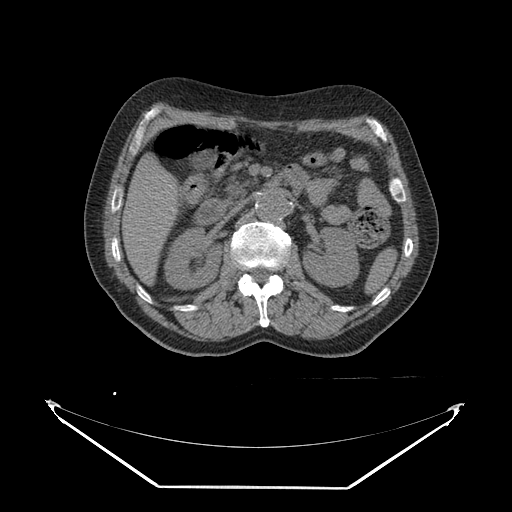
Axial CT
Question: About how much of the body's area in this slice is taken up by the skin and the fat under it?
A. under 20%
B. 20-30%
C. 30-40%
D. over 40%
Answer: B. 20-30%
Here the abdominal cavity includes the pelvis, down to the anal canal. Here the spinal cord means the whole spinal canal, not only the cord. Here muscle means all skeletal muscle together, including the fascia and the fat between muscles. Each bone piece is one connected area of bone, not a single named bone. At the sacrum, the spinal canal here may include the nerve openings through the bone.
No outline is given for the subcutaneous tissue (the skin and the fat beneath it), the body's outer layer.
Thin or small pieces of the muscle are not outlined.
Outlines:
bones 1: (255, 220) (270, 222) (280, 227) (292, 241) (286, 263) (277, 271) (283, 280) (283, 290) (267, 299) (266, 311) (269, 319) (267, 327) (258, 324) (259, 309) (255, 298) (252, 295) (244, 296) (239, 291) (237, 282) (243, 271) (230, 254) (230, 240) (234, 231) (242, 224); inner edge: (259, 266) (261, 266) (262, 267) (267, 268) (271, 270) (272, 272) (272, 273) (268, 277) (268, 279) (267, 281) (263, 284) (259, 284) (257, 282) (254, 281) (253, 280) (253, 278) (252, 276) (249, 272) (251, 269) (253, 268) (256, 268)
bones 2: (156, 105) (160, 105) (161, 106) (161, 110) (153, 118) (152, 118) (147, 124) (143, 137) (141, 140) (141, 143) (140, 144) (139, 149) (136, 155) (132, 156) (128, 151) (128, 147) (130, 144) (130, 142) (132, 140) (133, 135) (140, 121) (144, 116) (144, 114) (147, 111)
bones 3: (395, 176) (398, 177) (400, 179) (400, 180) (403, 185) (403, 187) (404, 188) (404, 190) (405, 191) (405, 194) (406, 195) (406, 200) (404, 202) (401, 202) (400, 203) (398, 203) (392, 197) (392, 196) (390, 193) (390, 191) (389, 190) (389, 180) (392, 177) (394, 177)
bones 4: (367, 116) (369, 116) (370, 117) (372, 117) (373, 118) (374, 118) (376, 120) (377, 120) (381, 124) (383, 129) (386, 133) (386, 136) (387, 137) (387, 141) (386, 142) (383, 142) (374, 133) (374, 132) (372, 130) (372, 129) (370, 127) (370, 126) (365, 121) (365, 118)
bones 5: (116, 185) (121, 185) (124, 188) (124, 189) (123, 190) (123, 197) (122, 198) (122, 203) (121, 204) (121, 206) (120, 207) (120, 209) (119, 209) (114, 213) (112, 213) (111, 212) (111, 199) (112, 198) (112, 195) (113, 194) (113, 191) (114, 190) (114, 188) (116, 186)
bones 6: (113, 236) (116, 236) (118, 238) (118, 239) (119, 240) (119, 248) (120, 249) (120, 261) (119, 261) (118, 262) (117, 261) (116, 261) (114, 259) (114, 258) (113, 257) (113, 256) (112, 255) (112, 254) (111, 253) (111, 241) (112, 240) (112, 238) (113, 237)
bones 7: (386, 285) (387, 286) (388, 286) (389, 287) (389, 288) (390, 289) (390, 293) (389, 294) (389, 295) (385, 299) (384, 299) (382, 301) (381, 301) (379, 303) (378, 303) (376, 305) (375, 305) (374, 306) (371, 306) (371, 302) (372, 301) (372, 300) (376, 296) (376, 295)
bones 8: (137, 282) (149, 294) (149, 295) (151, 297) (151, 298) (152, 299) (152, 300) (153, 301) (153, 303) (152, 304) (151, 304) (150, 303) (149, 303) (148, 302) (147, 302) (146, 301) (145, 301) (143, 299) (142, 299) (137, 294) (137, 293) (136, 292) (136, 283)
bones 9: (407, 237) (410, 237) (411, 238) (411, 239) (412, 240) (412, 243) (413, 244) (413, 249) (412, 250) (412, 252) (411, 253) (411, 254) (408, 257) (406, 257) (404, 255) (404, 252) (403, 251) (403, 243) (404, 242) (404, 239) (405, 238) (406, 238)
bones 10: (182, 304) (193, 304) (194, 305) (196, 305) (198, 307) (198, 308) (196, 310) (193, 310) (192, 311) (181, 311) (180, 310) (175, 310) (174, 309) (173, 309) (172, 308) (172, 306) (173, 306) (174, 305) (181, 305)
bones 11: (334, 304) (339, 304) (340, 305) (353, 305) (354, 306) (354, 308) (352, 310) (351, 310) (350, 311) (347, 311) (346, 312) (341, 312) (340, 311) (336, 311) (335, 310) (332, 310) (330, 308) (330, 306) (331, 305) (333, 305)
spinal cord: (259, 266) (261, 266) (262, 267) (267, 268) (271, 270) (272, 272) (272, 273) (268, 277) (268, 279) (267, 281) (263, 284) (259, 284) (257, 282) (254, 281) (253, 280) (253, 278) (252, 276) (249, 272) (251, 269) (253, 268) (256, 268)
muscle: (157, 101) (185, 110) (207, 110) (268, 121) (339, 119) (362, 114) (381, 120) (399, 152) (414, 203) (419, 238) (417, 257) (396, 296) (374, 318) (330, 339) (299, 339) (268, 327) (268, 299) (284, 290) (284, 280) (278, 271) (287, 263) (293, 242) (304, 277) (332, 300) (334, 303) (329, 306) (332, 311) (346, 313) (368, 302) (374, 307) (390, 295) (387, 284) (398, 265) (402, 246) (406, 258) (414, 249) (412, 238) (404, 238) (403, 233) (399, 204) (407, 200) (407, 195) (401, 179) (396, 175) (389, 177) (385, 158) (375, 146) (337, 131) (174, 122) (159, 128) (139, 151) (148, 124) (162, 110) (156, 104) (143, 114) (127, 147) (128, 153) (135, 157) (124, 187) (116, 184) (112, 191) (110, 212) (120, 210) (120, 213) (119, 237) (112, 236) (110, 253) (118, 263) (121, 251) (137, 281) (135, 292) (142, 300) (151, 305) (152, 298) (163, 303) (180, 303) (191, 300) (219, 279) (225, 242) (229, 240) (230, 257) (242, 271) (237, 289) (244, 297) (254, 298) (260, 327) (226, 342) (202, 342) (164, 327) (146, 315) (132, 303) (107, 265) (102, 231) (105, 200) (121, 149) (142, 110), around holes outlined by (367, 116) (369, 116) (370, 117) (372, 117) (373, 118) (374, 118) (376, 120) (377, 120) (381, 124) (383, 129) (386, 133) (386, 136) (387, 137) (387, 141) (386, 142) (383, 142) (374, 133) (374, 132) (372, 130) (372, 129) (370, 127) (370, 126) (365, 121) (365, 118) and by (182, 304) (193, 304) (194, 305) (196, 305) (198, 307) (198, 308) (196, 310) (193, 310) (192, 311) (181, 311) (180, 310) (175, 310) (174, 309) (173, 309) (172, 308) (172, 306) (173, 306) (174, 305) (181, 305)
abdominal cavity: (186, 122) (337, 132) (375, 147) (402, 218) (401, 252) (387, 283) (363, 304) (335, 303) (305, 277) (291, 236) (270, 221) (255, 219) (242, 223) (224, 242) (216, 281) (188, 300) (154, 299) (131, 273) (121, 250) (124, 190) (137, 154) (152, 136) (162, 127)
torso: (168, 76) (266, 95) (355, 84) (377, 92) (400, 113) (436, 205) (439, 243) (417, 299) (363, 350) (343, 357) (320, 357) (262, 341) (222, 356) (185, 355) (146, 336) (120, 313) (99, 285) (87, 259) (83, 235) (84, 205) (95, 161) (111, 121) (127, 98) (143, 85)